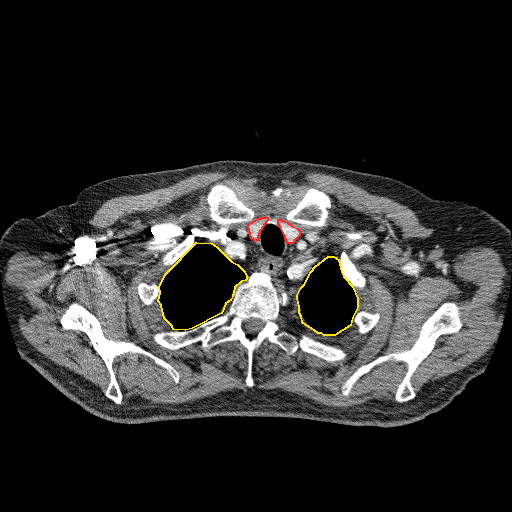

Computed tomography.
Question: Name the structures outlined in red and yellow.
Answer: red: thyroid glands; yellow: thoracic cavity.
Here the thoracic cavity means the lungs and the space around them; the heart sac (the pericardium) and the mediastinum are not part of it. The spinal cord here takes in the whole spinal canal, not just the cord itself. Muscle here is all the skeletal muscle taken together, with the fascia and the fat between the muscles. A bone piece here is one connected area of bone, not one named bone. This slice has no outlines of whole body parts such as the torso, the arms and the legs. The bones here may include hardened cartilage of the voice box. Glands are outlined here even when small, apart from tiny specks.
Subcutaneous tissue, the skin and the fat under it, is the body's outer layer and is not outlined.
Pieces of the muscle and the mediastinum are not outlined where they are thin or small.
Outlined structures:
thyroid glands 1: (278, 219) (280, 219) (281, 220) (283, 220) (284, 221) (287, 222) (292, 226) (297, 228) (300, 231) (300, 233) (299, 234) (299, 235) (294, 240) (294, 241) (292, 243) (287, 243) (286, 242) (286, 240) (285, 239) (285, 236) (284, 235) (280, 226) (278, 224)
thyroid glands 2: (261, 217) (267, 217) (267, 220) (265, 222) (265, 223) (263, 225) (263, 226) (259, 231) (259, 233) (257, 236) (257, 239) (255, 241) (253, 239) (252, 239) (250, 236) (250, 233) (249, 232) (249, 229) (248, 228) (248, 225) (254, 220) (255, 220) (258, 218) (260, 218)
thoracic cavity 1: (196, 242) (211, 243) (216, 246) (231, 261) (237, 264) (243, 270) (247, 277) (245, 280) (241, 281) (234, 287) (232, 296) (230, 300) (225, 303) (221, 313) (192, 328) (185, 330) (173, 329) (172, 326) (164, 318) (161, 305) (158, 301) (160, 292) (159, 286) (166, 273)
thoracic cavity 2: (328, 256) (333, 256) (338, 259) (341, 272) (343, 276) (352, 286) (357, 298) (357, 307) (352, 317) (350, 325) (334, 335) (324, 335) (321, 333) (318, 333) (302, 322) (301, 316) (299, 313) (299, 306) (297, 298) (297, 295) (301, 287) (304, 284) (311, 271) (315, 266)
bones 1: (256, 271) (289, 296) (292, 307) (280, 312) (285, 328) (338, 346) (345, 358) (327, 361) (300, 348) (290, 355) (265, 339) (253, 353) (254, 385) (248, 387) (246, 350) (237, 340) (206, 349) (199, 341) (177, 349) (157, 344) (156, 332) (189, 330) (221, 314) (235, 287); inner edge: (251, 318) (253, 318) (254, 319) (259, 319) (260, 320) (263, 321) (264, 322) (264, 324) (263, 325) (262, 328) (256, 334) (256, 335) (255, 336) (250, 338) (247, 335) (246, 332) (244, 330) (244, 329) (243, 328) (243, 326) (244, 325) (244, 323) (247, 320) (248, 320)
bones 2: (447, 301) (462, 308) (462, 325) (454, 333) (440, 335) (417, 366) (410, 378) (416, 393) (413, 398) (403, 402) (395, 400) (397, 386) (407, 371) (407, 364) (393, 359) (363, 374) (349, 395) (342, 394) (342, 384) (361, 365) (378, 356) (409, 349) (418, 338) (422, 324)
bones 3: (72, 302) (81, 304) (98, 319) (106, 338) (131, 341) (169, 363) (179, 373) (178, 382) (175, 383) (166, 370) (148, 356) (127, 352) (115, 357) (112, 363) (122, 393) (122, 403) (114, 403) (104, 394) (110, 380) (108, 369) (88, 336) (80, 330) (62, 328) (60, 317)
bones 4: (219, 183) (229, 186) (239, 192) (243, 199) (253, 208) (253, 210) (254, 211) (254, 216) (250, 220) (248, 221) (242, 221) (241, 222) (225, 223) (224, 224) (219, 224) (211, 220) (209, 217) (209, 205) (207, 202) (207, 196) (211, 188) (214, 185)
bones 5: (310, 187) (313, 187) (319, 190) (321, 190) (329, 197) (331, 206) (328, 209) (328, 217) (326, 220) (327, 224) (325, 226) (312, 226) (307, 224) (294, 222) (293, 221) (288, 220) (286, 218) (286, 214) (287, 212) (295, 205) (297, 201) (300, 199) (304, 192)
bones 6: (342, 251) (344, 251) (346, 253) (348, 259) (354, 264) (355, 267) (359, 271) (363, 273) (365, 277) (365, 285) (363, 288) (362, 288) (357, 293) (356, 293) (354, 290) (353, 286) (344, 276) (342, 272) (341, 266) (340, 265) (340, 262) (339, 261) (339, 259) (340, 258)
bones 7: (191, 232) (194, 236) (194, 241) (195, 242) (191, 246) (191, 247) (173, 264) (173, 265) (169, 269) (169, 270) (167, 272) (166, 272) (165, 271) (165, 267) (162, 262) (162, 257) (169, 250) (172, 249) (178, 244) (179, 244) (188, 235) (189, 235) (191, 233)
bones 8: (357, 310) (359, 311) (367, 311) (370, 313) (375, 313) (376, 312) (378, 312) (380, 314) (380, 317) (377, 323) (370, 330) (369, 330) (365, 333) (360, 333) (358, 332) (357, 330) (357, 327) (355, 325) (351, 325) (352, 323) (352, 320) (353, 319) (353, 317)
bones 9: (141, 282) (143, 282) (147, 284) (150, 284) (152, 282) (154, 282) (159, 287) (159, 292) (158, 293) (158, 298) (157, 299) (157, 301) (154, 301) (150, 305) (147, 305) (145, 304) (141, 300) (138, 294) (138, 292) (137, 291) (137, 285)
bones 10: (277, 186) (281, 186) (282, 187) (285, 187) (286, 188) (287, 187) (288, 188) (290, 188) (291, 189) (291, 191) (293, 194) (293, 196) (292, 197) (291, 197) (290, 198) (288, 198) (287, 199) (285, 199) (282, 196) (274, 196) (270, 192) (272, 189) (273, 189)
muscle: (214, 167) (331, 174) (414, 211) (434, 229) (413, 239) (416, 250) (495, 249) (506, 269) (497, 300) (498, 335) (477, 360) (430, 380) (417, 393) (411, 378) (418, 366) (440, 336) (463, 325) (463, 308) (447, 300) (421, 324) (409, 348) (378, 355) (341, 384) (347, 397) (376, 366) (403, 362) (396, 402) (333, 407) (278, 388) (254, 388) (254, 353) (265, 340) (290, 356) (299, 349) (332, 363) (347, 356) (338, 345) (285, 327) (284, 309) (324, 336) (350, 326) (365, 334) (381, 317) (357, 309) (366, 277) (344, 250) (339, 258) (330, 255) (329, 245) (313, 230) (269, 211) (197, 242) (191, 231) (161, 257) (165, 274) (159, 285) (136, 285) (140, 300) (147, 306) (158, 302) (172, 328) (153, 333) (157, 345) (177, 350) (199, 342) (206, 350) (237, 341) (245, 350) (247, 387) (179, 404) (123, 399) (115, 358) (148, 357) (175, 384) (179, 371) (131, 340) (106, 337) (99, 319) (72, 301) (59, 323) (63, 330) (83, 332) (103, 361) (109, 375) (103, 394) (24, 338) (18, 302) (5, 280) (7, 262) (21, 250) (63, 254) (94, 230) (88, 220) (106, 200) (165, 187), around holes outlined by (219, 183) (229, 186) (239, 192) (243, 199) (253, 208) (253, 210) (254, 211) (254, 216) (250, 220) (248, 221) (242, 221) (241, 222) (225, 223) (224, 224) (219, 224) (211, 220) (209, 217) (209, 205) (207, 202) (207, 196) (211, 188) (214, 185) and by (310, 187) (313, 187) (319, 190) (321, 190) (329, 197) (331, 206) (328, 209) (328, 217) (326, 220) (327, 224) (325, 226) (312, 226) (307, 224) (294, 222) (293, 221) (288, 220) (286, 218) (286, 214) (287, 212) (295, 205) (297, 201) (300, 199) (304, 192) and by (277, 186) (281, 186) (282, 187) (285, 187) (286, 188) (287, 187) (288, 188) (290, 188) (291, 189) (291, 191) (293, 194) (293, 196) (292, 197) (291, 197) (290, 198) (288, 198) (287, 199) (285, 199) (282, 196) (274, 196) (270, 192) (272, 189) (273, 189)
mediastinum: (269, 212) (283, 219) (278, 218) (277, 224) (287, 244) (295, 241) (300, 230) (311, 230) (329, 247) (330, 254) (313, 267) (296, 295) (300, 319) (288, 309) (293, 307) (290, 296) (269, 274) (256, 270) (248, 276) (216, 245) (199, 241) (249, 223) (249, 236) (255, 242)
spinal cord: (251, 318) (253, 318) (254, 319) (259, 319) (260, 320) (263, 321) (264, 322) (264, 324) (263, 325) (262, 328) (256, 334) (256, 335) (255, 336) (250, 338) (247, 335) (246, 332) (244, 330) (244, 329) (243, 328) (243, 326) (244, 325) (244, 323) (247, 320) (248, 320)